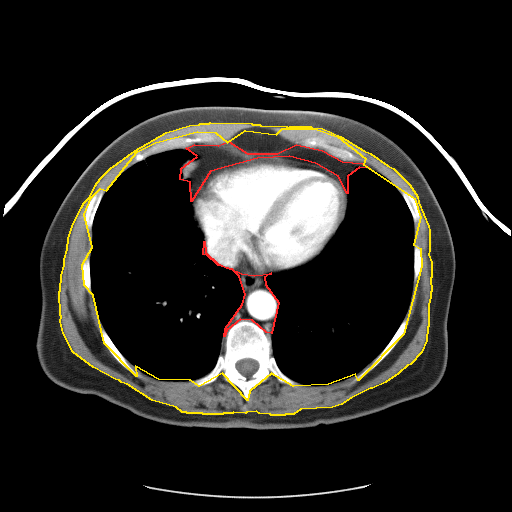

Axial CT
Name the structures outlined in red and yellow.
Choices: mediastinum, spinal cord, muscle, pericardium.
red: mediastinum; yellow: muscle.
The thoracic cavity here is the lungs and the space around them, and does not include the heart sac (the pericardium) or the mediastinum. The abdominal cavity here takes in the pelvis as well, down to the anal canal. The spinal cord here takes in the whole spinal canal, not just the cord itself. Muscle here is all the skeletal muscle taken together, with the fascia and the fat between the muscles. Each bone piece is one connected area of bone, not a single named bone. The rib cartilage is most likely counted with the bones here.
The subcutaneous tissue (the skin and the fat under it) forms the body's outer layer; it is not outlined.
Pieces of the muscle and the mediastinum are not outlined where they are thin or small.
{"mediastinum":[[[228,141],[247,153],[277,153],[296,144],[322,150],[342,161],[362,163],[369,168],[359,167],[347,176],[347,193],[338,176],[315,163],[289,156],[257,158],[210,171],[191,201],[190,182],[180,179],[181,168],[197,156],[186,148],[194,144],[218,145]],[[204,241],[205,252],[216,262],[226,267],[228,267],[241,273],[254,275],[271,273],[264,277],[265,284],[278,302],[271,333],[266,332],[252,320],[240,319],[226,330],[224,336],[225,328],[242,304],[245,294],[239,276],[238,275],[232,269],[229,269],[218,265],[207,255],[203,254]]],"muscle":[{"outer":[[210,122],[251,123],[252,124],[259,124],[260,125],[286,126],[287,127],[289,126],[310,126],[311,127],[322,128],[340,136],[363,150],[370,153],[387,165],[393,168],[409,184],[417,196],[418,202],[428,226],[429,230],[429,250],[428,254],[431,262],[431,277],[430,278],[431,291],[430,292],[430,297],[428,304],[428,326],[427,327],[426,340],[421,352],[410,364],[407,365],[398,373],[385,382],[372,388],[370,388],[350,398],[341,404],[332,407],[300,409],[293,414],[285,414],[284,415],[271,415],[270,414],[259,413],[256,411],[246,412],[245,413],[233,412],[232,413],[223,413],[222,414],[203,414],[202,413],[187,413],[186,412],[182,412],[176,407],[152,400],[127,384],[121,382],[119,380],[115,379],[93,367],[73,352],[63,333],[60,321],[61,316],[60,315],[59,291],[60,290],[61,275],[64,265],[64,259],[67,249],[68,238],[72,226],[81,207],[84,202],[90,196],[95,185],[100,178],[110,168],[135,150],[166,132],[189,125],[199,124],[200,123],[209,123]],"hole":[[282,128],[314,128],[337,136],[365,158],[363,164],[414,198],[420,217],[413,244],[420,248],[421,266],[403,334],[358,380],[355,374],[328,384],[293,386],[271,373],[249,391],[247,400],[222,373],[199,386],[190,380],[158,379],[135,366],[136,376],[104,343],[93,295],[84,285],[82,264],[92,247],[84,214],[91,197],[100,188],[106,190],[137,151],[155,142],[197,131],[215,132],[227,142],[245,130],[276,134]]}],"abdominal_cavity":[[[245,130],[267,130],[268,131],[272,131],[285,140],[287,140],[294,144],[293,146],[289,149],[283,150],[282,151],[278,151],[277,152],[247,152],[246,151],[242,151],[233,146],[229,141],[231,140],[232,138],[236,134],[237,134],[239,132],[241,132]]],"spinal_cord":[[[247,358],[249,358],[250,359],[255,360],[258,364],[258,367],[257,368],[257,369],[249,377],[247,377],[246,376],[243,375],[240,372],[239,372],[239,371],[236,368],[236,363],[238,361],[239,361],[240,360],[242,360],[243,359],[246,359]]],"torso":[[[212,105],[350,117],[392,139],[417,165],[445,216],[455,253],[447,319],[447,365],[431,391],[333,424],[290,429],[210,428],[150,420],[97,395],[68,390],[46,376],[35,347],[41,311],[39,258],[46,232],[66,194],[92,160],[132,126],[165,111]]],"pericardium":[[[288,157],[324,168],[333,173],[343,183],[347,194],[347,207],[345,218],[336,233],[324,249],[312,260],[303,265],[279,272],[257,274],[241,272],[216,261],[206,252],[204,235],[198,227],[193,214],[192,202],[201,182],[210,172],[232,164],[263,158]]],"bones":[{"outer":[[240,320],[252,321],[270,334],[272,355],[277,366],[286,376],[297,382],[297,385],[282,383],[271,373],[265,381],[249,391],[248,399],[245,400],[242,391],[225,381],[222,373],[214,381],[204,385],[191,383],[212,370],[219,355],[224,352],[227,330]],"hole":[[247,358],[249,358],[250,359],[255,360],[258,364],[258,367],[257,368],[257,369],[249,377],[247,377],[246,376],[243,375],[240,372],[239,372],[239,371],[236,368],[236,363],[238,361],[239,361],[240,360],[242,360],[243,359],[246,359]]},[[282,128],[314,128],[329,132],[348,143],[347,145],[348,148],[352,151],[362,155],[365,158],[366,161],[365,162],[346,161],[335,157],[324,150],[317,147],[316,148],[307,148],[304,147],[299,144],[285,139],[279,135],[277,133],[277,130]],[[197,131],[215,132],[225,140],[224,142],[218,144],[210,144],[204,142],[203,143],[194,143],[185,148],[174,148],[169,150],[165,150],[152,154],[129,166],[135,153],[137,151],[141,151],[149,147],[155,142],[165,140],[171,137],[192,136],[194,132]],[[405,317],[407,317],[409,319],[409,320],[403,334],[401,336],[397,343],[385,356],[385,357],[374,368],[373,368],[365,375],[362,376],[358,380],[356,380],[355,381],[355,378],[356,376],[384,349],[384,348],[394,335],[395,332],[397,330],[400,324]],[[101,327],[103,327],[106,333],[114,345],[121,353],[121,354],[129,362],[129,363],[132,365],[134,369],[140,374],[140,376],[139,377],[138,376],[136,376],[126,369],[121,364],[120,364],[112,355],[104,343],[102,339],[102,337],[100,334],[99,329]],[[100,188],[104,188],[105,191],[100,200],[100,202],[95,212],[95,214],[93,218],[93,221],[92,222],[92,226],[91,227],[91,229],[89,230],[87,228],[86,228],[86,226],[85,225],[84,214],[91,197],[93,195],[93,194]],[[401,190],[406,190],[408,191],[412,195],[412,196],[414,198],[417,204],[417,206],[419,210],[419,213],[420,214],[420,217],[419,218],[419,220],[416,223],[414,223],[414,221],[413,220],[413,217],[411,214],[411,212],[403,196],[400,192]],[[87,256],[88,256],[89,257],[89,272],[90,273],[90,281],[91,282],[91,294],[89,294],[87,292],[87,291],[85,288],[85,286],[84,285],[84,280],[83,279],[83,276],[82,275],[82,264],[83,263],[83,262],[84,261],[85,258]],[[415,244],[416,244],[417,245],[418,245],[419,246],[419,247],[420,248],[420,250],[421,251],[421,266],[420,267],[420,270],[419,271],[419,273],[418,274],[418,276],[417,277],[417,279],[416,280],[416,281],[415,281],[414,282],[414,245]]],"thoracic_cavity":[[[174,149],[185,149],[196,156],[180,168],[179,179],[189,182],[193,218],[203,235],[202,254],[218,266],[232,270],[244,294],[224,328],[223,352],[214,366],[198,378],[181,381],[152,377],[122,354],[99,317],[90,272],[92,227],[106,190],[130,166]],[[359,168],[373,169],[387,178],[402,196],[412,217],[414,224],[413,283],[409,304],[403,319],[389,341],[358,373],[328,384],[300,383],[280,369],[273,355],[271,334],[279,302],[266,284],[265,277],[272,273],[303,266],[325,249],[346,218],[348,176]]]}